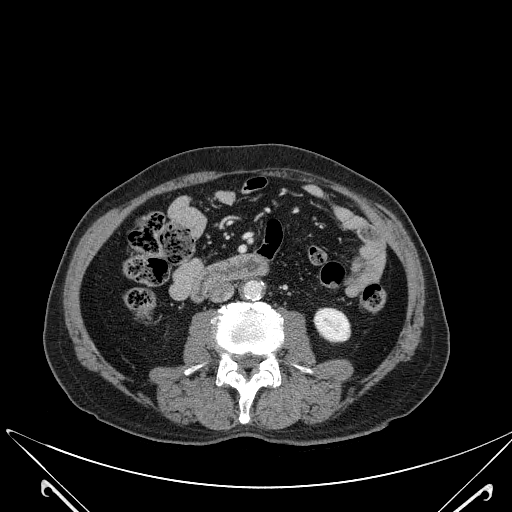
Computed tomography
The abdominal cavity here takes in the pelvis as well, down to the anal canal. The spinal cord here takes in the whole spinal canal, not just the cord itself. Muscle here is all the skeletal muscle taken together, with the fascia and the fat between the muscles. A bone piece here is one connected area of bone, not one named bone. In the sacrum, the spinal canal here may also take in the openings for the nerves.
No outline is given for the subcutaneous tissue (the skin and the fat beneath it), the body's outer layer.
{"bones":[{"outer":[[234,301],[266,302],[284,318],[283,343],[275,352],[281,384],[276,387],[262,386],[256,392],[249,408],[250,420],[245,424],[240,423],[238,419],[240,412],[238,391],[228,384],[221,386],[215,384],[220,356],[215,348],[210,319],[216,314],[218,308]],"hole":[[248,353],[251,355],[259,356],[262,358],[257,365],[258,367],[257,368],[257,371],[254,371],[253,369],[252,370],[244,370],[242,372],[239,372],[238,371],[238,369],[239,368],[238,363],[233,359],[233,357],[232,356],[233,355],[243,355]]},[[203,362],[205,362],[205,364],[202,367],[199,368],[197,370],[196,370],[191,374],[190,374],[189,375],[185,375],[183,373],[183,371],[186,368],[187,368],[188,367],[189,367],[192,365],[195,365],[196,364],[199,364],[200,363],[202,363]],[[293,362],[295,362],[296,363],[297,363],[300,365],[302,365],[303,366],[307,366],[308,367],[310,367],[312,369],[313,369],[313,373],[312,374],[309,374],[308,373],[305,373],[304,372],[302,372],[299,369],[296,368],[291,364],[291,363],[292,363]]],"torso":[[[269,142],[328,156],[379,183],[405,209],[431,259],[449,327],[449,358],[438,384],[413,411],[380,430],[313,445],[280,444],[249,436],[207,445],[158,442],[120,430],[79,409],[56,381],[42,341],[50,287],[78,220],[104,193],[164,157],[208,145]]],"muscle":[{"outer":[[269,167],[291,167],[292,168],[307,170],[324,176],[341,185],[346,186],[356,192],[361,193],[374,201],[383,204],[390,209],[399,218],[417,249],[424,275],[425,305],[423,312],[424,314],[424,324],[421,330],[421,335],[420,336],[421,340],[417,345],[409,360],[401,362],[381,381],[372,387],[366,393],[360,396],[353,403],[350,404],[341,412],[339,416],[333,419],[330,419],[323,423],[312,425],[305,429],[296,429],[291,431],[273,431],[269,429],[268,430],[267,429],[262,429],[254,425],[239,425],[228,430],[215,430],[214,431],[202,431],[196,429],[189,429],[172,423],[161,416],[157,412],[154,411],[150,407],[145,407],[136,402],[129,396],[125,395],[116,389],[98,375],[97,373],[86,368],[80,363],[77,358],[74,349],[74,344],[68,333],[64,321],[62,293],[63,292],[63,285],[66,272],[72,254],[80,237],[93,221],[109,209],[113,207],[117,207],[123,204],[128,200],[162,182],[183,174],[202,170],[211,170],[219,172],[232,172],[233,171],[242,171],[248,169],[259,169]],"holes":[[[248,172],[349,197],[401,262],[407,305],[395,345],[365,376],[352,375],[345,358],[317,363],[304,314],[278,307],[281,384],[256,392],[242,424],[238,391],[215,384],[215,309],[191,317],[182,364],[157,365],[141,381],[96,347],[80,288],[134,208]],[[203,362],[205,362],[205,364],[202,367],[199,368],[197,370],[196,370],[191,374],[190,374],[189,375],[185,375],[183,373],[183,371],[186,368],[187,368],[188,367],[189,367],[192,365],[195,365],[196,364],[199,364],[200,363],[202,363]],[[293,362],[295,362],[296,363],[297,363],[300,365],[302,365],[303,366],[307,366],[308,367],[310,367],[312,369],[313,369],[313,373],[312,374],[309,374],[308,373],[305,373],[304,372],[302,372],[299,369],[296,368],[291,364],[291,363],[292,363]]]}],"abdominal_cavity":[[[248,172],[326,186],[370,219],[405,273],[407,305],[395,345],[371,372],[352,375],[345,358],[316,362],[303,313],[263,300],[234,300],[193,314],[182,364],[155,366],[149,381],[124,375],[96,347],[82,317],[80,288],[90,262],[118,223],[149,198]]],"spinal_cord":[[[248,353],[251,355],[259,356],[262,358],[257,365],[258,367],[257,368],[257,371],[254,371],[253,369],[252,370],[244,370],[242,372],[239,372],[238,371],[238,369],[239,368],[238,363],[233,359],[233,357],[232,356],[233,355],[243,355]]]}